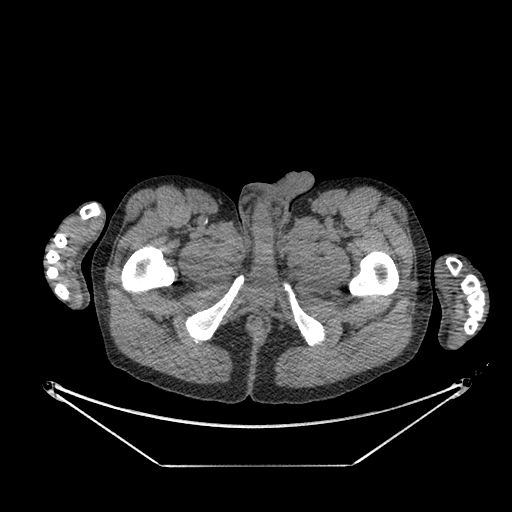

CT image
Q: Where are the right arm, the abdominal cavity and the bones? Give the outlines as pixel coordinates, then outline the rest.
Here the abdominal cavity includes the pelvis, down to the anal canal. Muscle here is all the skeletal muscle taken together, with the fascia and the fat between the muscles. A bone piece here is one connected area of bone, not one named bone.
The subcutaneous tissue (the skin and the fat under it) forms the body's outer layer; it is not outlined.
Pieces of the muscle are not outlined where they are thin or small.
A: The right arm is outlined by 91,199 97,200 103,205 106,211 106,217 104,225 98,238 90,247 81,262 82,272 90,295 89,304 86,308 82,310 74,310 60,301 54,295 48,286 43,273 42,258 44,254 44,247 61,220 81,203. The abdominal cavity is outlined by 257,317 259,317 260,318 263,319 264,320 264,321 266,324 266,331 265,332 264,335 262,337 261,337 258,339 256,339 255,338 254,338 254,336 253,335 253,334 251,331 251,325 250,324 252,322 252,321. The bones appear in 9 outlined pieces: piece 1: 148,244 159,248 161,250 166,263 173,268 173,270 175,273 175,279 174,281 168,286 156,287 149,289 146,291 143,291 140,293 130,293 127,292 124,290 121,286 121,281 120,280 120,274 123,265 134,251; piece 2: 373,250 381,250 387,253 391,257 396,266 399,275 398,286 393,293 386,296 382,296 381,295 375,297 372,296 354,296 352,295 349,291 348,284 350,280 358,273 359,271 359,263 361,259 365,255; piece 3: 240,274 243,274 244,276 244,281 236,296 223,316 217,329 214,332 213,335 208,340 199,341 197,343 195,342 189,335 185,327 185,320 187,316 199,310 208,308 214,304 222,297 228,290 234,279; piece 4: 283,282 287,282 290,284 298,301 298,303 301,308 306,313 318,320 325,327 325,338 321,343 319,344 315,344 311,346 305,341 304,338 301,335 298,326 294,320 293,314 288,300 288,295 285,291 282,284; piece 5: 469,273 474,274 478,278 485,295 484,298 485,303 483,307 484,312 482,319 478,322 477,329 471,335 466,334 463,329 464,322 468,317 467,310 470,305 467,301 467,296 463,292 460,286 462,279 466,274; piece 6: 58,232 63,233 65,235 67,243 65,247 63,248 57,248 56,249 59,254 59,259 57,263 55,264 55,266 58,270 58,277 57,279 50,279 46,275 47,264 46,263 45,255 48,248 54,245 53,238; piece 7: 91,202 97,202 101,206 101,209 102,210 102,211 101,212 101,214 98,216 93,216 92,217 90,217 87,219 82,219 81,218 81,217 79,214 79,211 80,210 80,209 84,205 85,205 88,203 90,203; piece 8: 448,256 455,256 457,258 458,258 461,261 461,262 462,263 462,267 461,268 461,270 459,272 459,274 457,276 453,276 451,274 450,271 448,269 448,268 447,267 447,266 445,263 445,260 446,259 446,258; piece 9: 57,282 60,282 61,283 62,283 64,285 65,285 66,286 66,287 67,288 67,289 69,291 69,299 68,300 63,300 62,299 61,299 55,293 55,292 54,291 54,286 55,285 55,284. The muscle appears in 3 outlined pieces: piece 1: 162,182 202,189 224,206 245,240 250,279 244,303 265,305 275,313 282,312 274,275 278,241 309,199 328,189 361,184 398,200 407,212 419,282 411,341 402,354 380,366 302,388 273,382 276,358 297,345 298,332 272,316 264,343 254,349 245,330 249,311 215,334 214,342 233,362 228,382 188,382 127,357 110,334 104,267 129,198 145,185, around holes outlined by 148,244 159,248 161,250 166,263 173,268 173,270 175,273 175,279 174,281 168,286 156,287 149,289 146,291 143,291 140,293 130,293 127,292 124,290 121,286 121,281 120,280 120,274 123,265 134,251 and by 373,250 381,250 387,253 391,257 396,266 399,275 398,286 393,293 386,296 382,296 381,295 375,297 372,296 354,296 352,295 349,291 348,284 350,280 358,273 359,271 359,263 361,259 365,255 and by 240,274 243,274 244,276 244,281 236,296 223,316 217,329 214,332 213,335 208,340 199,341 197,343 195,342 189,335 185,327 185,320 187,316 199,310 208,308 214,304 222,297 228,290 234,279 and by 283,282 287,282 290,284 298,301 298,303 301,308 306,313 318,320 325,327 325,338 321,343 319,344 315,344 311,346 305,341 304,338 301,335 298,326 294,320 293,314 288,300 288,295 285,291 282,284 and by 257,317 259,317 260,318 263,319 264,320 264,321 266,324 266,331 265,332 264,335 262,337 261,337 258,339 256,339 255,338 254,338 254,336 253,335 253,334 251,331 251,325 250,324 252,322 252,321; piece 2: 78,214 82,220 101,217 97,228 75,259 75,271 82,294 82,302 76,306 68,301 70,291 67,286 60,281 53,286 51,280 59,277 56,264 60,254 57,249 65,248 68,243 66,235 60,229 69,218; piece 3: 446,256 444,263 453,277 457,277 462,270 461,260 465,261 474,273 466,273 459,283 469,305 466,310 467,317 462,325 464,333 468,336 455,345 448,345 447,343 450,328 449,306 440,288 437,270 439,262. The left arm is outlined by 445,252 457,252 466,256 483,275 489,290 490,297 490,309 486,322 483,327 477,335 467,341 461,347 455,350 446,350 442,348 439,345 437,340 437,331 441,318 441,308 433,286 434,284 433,266 436,258. The torso is outlined by 293,170 311,172 315,184 372,177 410,202 431,250 434,291 415,356 353,391 302,405 255,403 249,396 237,404 197,400 114,367 97,321 90,267 124,194 148,177 181,174 219,187 236,203 246,183 271,182.